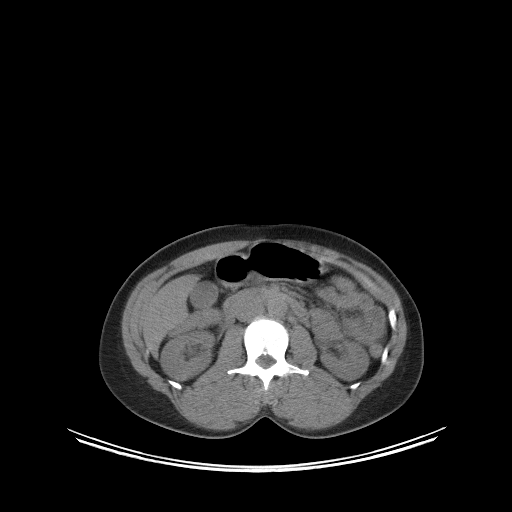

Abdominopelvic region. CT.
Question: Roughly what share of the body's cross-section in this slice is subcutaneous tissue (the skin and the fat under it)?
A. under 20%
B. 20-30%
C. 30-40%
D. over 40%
Answer: B. 20-30%
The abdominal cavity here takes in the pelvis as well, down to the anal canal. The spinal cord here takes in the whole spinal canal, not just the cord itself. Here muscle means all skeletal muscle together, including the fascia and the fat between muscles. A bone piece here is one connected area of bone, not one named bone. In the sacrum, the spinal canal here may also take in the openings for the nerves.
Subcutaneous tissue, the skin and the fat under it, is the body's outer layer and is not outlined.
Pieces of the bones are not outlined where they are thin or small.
The spinal cord is outlined by 261,355 268,355 269,356 270,356 275,361 274,362 274,363 273,364 272,364 270,366 269,366 268,367 267,367 266,368 264,368 263,367 262,367 260,365 259,365 256,362 256,360 258,358 258,357 259,357. The bones appear in 3 outlined pieces: piece 1: 256,316 278,320 286,327 289,341 285,358 289,363 307,369 309,373 306,376 299,373 291,373 285,377 274,376 267,390 264,390 262,381 257,376 227,373 229,369 240,367 245,363 247,355 243,333 245,327, around a hole outlined by 261,355 268,355 269,356 270,356 275,361 274,362 274,363 273,364 272,364 270,366 269,366 268,367 267,367 266,368 264,368 263,367 262,367 260,365 259,365 256,362 256,360 258,358 258,357 259,357; piece 2: 390,307 393,307 394,308 394,309 395,310 395,314 396,315 396,327 395,328 395,329 394,330 393,330 391,328 391,326 390,325 390,322 389,321 389,319 388,318 388,309; piece 3: 360,274 363,274 365,276 368,277 374,283 374,284 376,286 376,288 375,289 372,289 371,288 368,287 366,285 366,284 363,281 363,280 362,279 362,278 361,277. The abdominal cavity is outlined by 260,241 281,242 322,257 353,275 386,307 390,337 370,377 342,383 315,364 317,350 303,326 288,330 280,320 265,315 256,315 244,328 231,325 213,364 189,385 166,379 154,369 141,336 148,297 173,275. The muscle is outlined by 256,238 299,240 336,250 372,268 399,296 407,326 403,351 391,374 349,416 334,426 315,430 298,428 276,416 268,407 233,429 196,426 134,369 126,354 121,334 122,315 131,292 143,277 194,249 223,241, around holes outlined by 260,241 320,256 394,308 386,363 355,389 315,364 316,347 299,324 288,330 285,358 309,373 274,376 267,390 257,376 227,373 247,359 237,323 191,384 178,389 152,366 141,336 148,297 173,275 and by 360,274 363,274 365,276 368,277 374,283 374,284 376,286 376,288 375,289 372,289 371,288 368,287 366,285 366,284 363,281 363,280 362,279 362,278 361,277. The torso is outlined by 235,223 301,223 334,230 369,248 392,269 418,308 424,339 421,377 401,407 365,427 328,438 300,437 264,417 237,435 209,439 154,424 118,401 106,386 98,366 102,324 115,293 127,276 162,246 201,229.